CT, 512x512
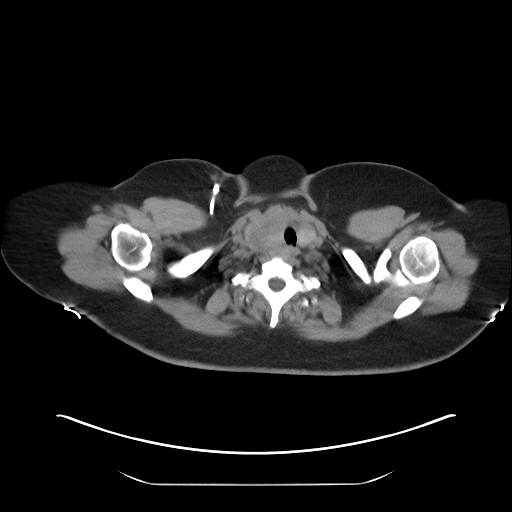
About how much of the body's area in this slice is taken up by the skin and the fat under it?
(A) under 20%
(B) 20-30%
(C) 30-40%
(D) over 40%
Answer: (D) over 40%
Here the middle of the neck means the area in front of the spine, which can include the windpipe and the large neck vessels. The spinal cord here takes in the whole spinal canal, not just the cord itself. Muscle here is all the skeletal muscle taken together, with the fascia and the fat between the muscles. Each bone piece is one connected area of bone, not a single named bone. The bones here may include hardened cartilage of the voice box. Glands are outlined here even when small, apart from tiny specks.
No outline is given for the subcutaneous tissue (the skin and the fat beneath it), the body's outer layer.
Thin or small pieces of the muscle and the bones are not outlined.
{"muscle":[{"outer":[[154,195],[200,206],[215,219],[207,233],[260,202],[281,201],[318,214],[345,237],[351,213],[397,205],[420,212],[422,219],[450,224],[480,262],[473,288],[459,309],[415,315],[424,299],[409,294],[393,311],[394,320],[356,340],[312,341],[262,328],[233,337],[206,336],[141,302],[150,304],[154,295],[136,274],[120,278],[130,295],[77,284],[61,269],[63,258],[56,247],[61,228],[78,223],[94,204],[139,205]],"holes":[[[285,216],[308,224],[322,240],[317,249],[281,257],[294,270],[317,277],[320,287],[291,297],[281,307],[278,322],[271,328],[271,307],[267,300],[258,291],[233,285],[231,278],[238,272],[257,271],[261,263],[273,256],[249,250],[244,232],[261,219]],[[418,235],[427,236],[435,242],[440,258],[439,270],[435,277],[419,285],[396,286],[387,281],[366,284],[354,272],[341,252],[342,246],[350,247],[371,272],[381,252],[389,246],[391,256],[386,265],[392,273],[400,267],[399,253],[402,247]],[[120,222],[122,223],[129,223],[132,226],[138,229],[140,231],[145,232],[151,240],[151,242],[152,243],[151,260],[147,267],[142,268],[138,272],[135,272],[134,273],[128,272],[114,259],[112,255],[112,253],[111,252],[110,232],[112,228],[116,224]],[[209,244],[214,244],[215,245],[217,245],[217,248],[208,258],[208,259],[195,272],[183,278],[173,278],[167,272],[166,268],[167,266],[172,261],[174,260],[177,260],[181,258],[183,256],[189,253],[194,252],[202,248],[204,246],[206,246]],[[312,296],[316,296],[317,297],[317,298],[318,299],[318,302],[316,304],[313,304],[310,302],[308,304],[308,305],[306,307],[304,307],[303,306],[302,306],[299,303],[299,301],[303,297],[306,297],[307,298],[308,298],[309,299],[310,299]]]}],"middle_of_the_neck":[{"outer":[[285,216],[289,216],[298,223],[299,235],[297,242],[301,248],[305,248],[312,243],[316,235],[315,232],[319,235],[322,240],[322,244],[319,248],[312,251],[305,251],[295,256],[281,256],[278,254],[255,254],[246,247],[243,235],[249,227],[264,218]],"hole":[[282,218],[286,218],[287,219],[287,220],[286,221],[286,222],[284,224],[284,225],[281,230],[281,241],[279,243],[278,243],[277,244],[274,244],[273,245],[271,245],[268,242],[268,234],[269,233],[269,231],[270,230],[270,227],[276,221],[277,221]]}],"head_and_neck":[[[274,153],[286,154],[300,161],[306,167],[307,170],[309,172],[311,172],[310,177],[307,183],[303,189],[293,193],[286,193],[285,194],[278,194],[277,195],[250,195],[248,192],[247,184],[244,178],[238,172],[248,162],[260,156],[267,154],[273,154]]],"spinal_cord":[[[273,278],[278,278],[279,279],[281,279],[284,282],[284,285],[283,286],[283,287],[281,289],[280,289],[279,290],[277,290],[276,291],[275,290],[273,290],[270,287],[270,286],[269,285],[269,281],[271,279],[272,279]]],"torso":[[[180,157],[205,159],[239,173],[250,196],[297,193],[312,172],[347,161],[394,164],[435,184],[450,196],[397,232],[394,261],[423,315],[460,350],[394,373],[233,372],[167,363],[106,333],[88,319],[134,289],[159,237],[147,201],[121,181],[151,162]]],"bones":[[[418,235],[427,236],[435,242],[440,258],[439,270],[435,277],[419,285],[396,286],[387,281],[366,284],[354,272],[341,252],[342,246],[350,247],[371,272],[381,252],[389,246],[391,256],[386,265],[392,273],[400,267],[399,253],[402,247]],{"outer":[[275,255],[292,265],[294,270],[317,277],[320,281],[320,287],[304,293],[298,292],[291,297],[281,307],[278,322],[274,328],[271,328],[269,326],[271,307],[267,300],[258,291],[243,288],[239,284],[233,285],[231,278],[238,272],[257,271],[261,263]],"hole":[[273,278],[278,278],[279,279],[281,279],[284,282],[284,285],[283,286],[283,287],[281,289],[280,289],[279,290],[277,290],[276,291],[275,290],[273,290],[270,287],[270,286],[269,285],[269,281],[271,279],[272,279]]},[[120,222],[122,223],[129,223],[132,226],[138,229],[140,231],[145,232],[151,240],[151,242],[152,243],[151,260],[147,267],[142,268],[138,272],[135,272],[134,273],[128,272],[114,259],[112,255],[112,253],[111,252],[110,232],[112,228],[116,224]],[[209,244],[214,244],[215,245],[217,245],[217,248],[208,258],[208,259],[195,272],[183,278],[173,278],[167,272],[166,268],[167,266],[172,261],[174,260],[177,260],[181,258],[183,256],[189,253],[194,252],[202,248],[204,246],[206,246]],[[122,275],[126,275],[127,276],[129,275],[136,275],[147,282],[151,288],[152,294],[153,295],[153,300],[150,303],[147,303],[142,300],[140,300],[136,298],[133,295],[132,295],[132,294],[130,293],[130,292],[123,285],[122,279],[121,278],[122,277]],[[409,295],[415,295],[416,296],[418,296],[420,298],[422,298],[423,299],[423,302],[421,304],[421,305],[414,312],[413,312],[411,314],[405,317],[403,317],[400,319],[394,319],[392,317],[394,311],[396,309],[398,305],[401,302],[401,301]],[[312,296],[316,296],[317,297],[317,298],[318,299],[318,302],[316,304],[313,304],[310,302],[308,304],[308,305],[306,307],[304,307],[303,306],[302,306],[299,303],[299,301],[303,297],[306,297],[307,298],[308,298],[309,299],[310,299]]],"left_arm":[[[470,194],[487,194],[502,198],[504,200],[509,225],[509,285],[506,302],[503,304],[495,315],[487,323],[485,328],[472,341],[460,349],[447,335],[439,329],[430,319],[424,315],[409,283],[395,261],[395,253],[398,232],[449,197],[459,201],[466,195]]],"right_arm":[[[71,178],[99,180],[110,185],[114,185],[120,181],[122,182],[146,201],[158,236],[150,260],[141,272],[133,289],[122,299],[89,318],[78,313],[71,307],[53,302],[37,294],[14,276],[4,263],[2,257],[3,222],[8,199],[14,194],[29,187]]],"thyroid_glands":[[[282,218],[286,218],[287,219],[287,220],[286,221],[286,222],[284,224],[284,225],[281,230],[281,241],[279,243],[278,243],[277,244],[274,244],[273,245],[271,245],[268,242],[268,234],[269,233],[269,231],[270,230],[270,227],[276,221],[277,221]],[[301,223],[305,223],[306,224],[308,224],[313,229],[315,233],[314,238],[311,242],[311,243],[310,243],[307,246],[305,247],[301,247],[299,245],[299,243],[298,242],[298,239],[300,235],[300,226],[299,224]]]}